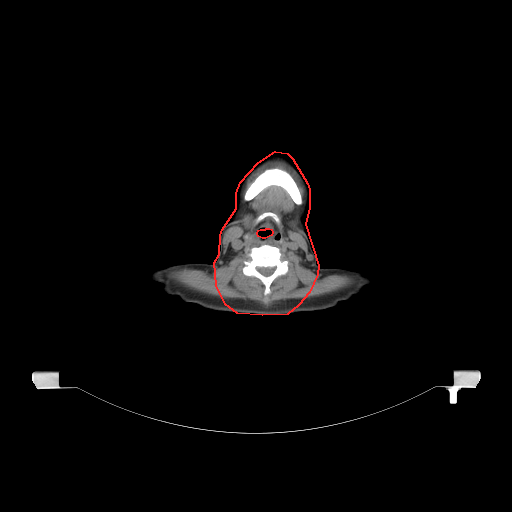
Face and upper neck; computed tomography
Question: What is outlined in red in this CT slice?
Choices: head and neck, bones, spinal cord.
Answer: red: head and neck.
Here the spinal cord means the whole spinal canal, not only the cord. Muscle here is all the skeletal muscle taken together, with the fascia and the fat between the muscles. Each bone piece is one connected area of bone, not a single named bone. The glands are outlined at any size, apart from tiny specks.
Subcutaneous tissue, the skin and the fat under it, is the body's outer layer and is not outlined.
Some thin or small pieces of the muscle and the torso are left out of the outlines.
{"head_and_neck":[{"outer":[[275,151],[287,153],[292,158],[307,183],[309,189],[309,207],[305,224],[318,265],[317,274],[309,292],[298,305],[287,314],[262,315],[237,313],[225,304],[216,285],[214,262],[219,254],[220,235],[222,229],[236,208],[236,193],[240,182],[258,162]],"hole":[[266,228],[269,228],[271,229],[272,231],[272,233],[271,235],[265,238],[262,238],[258,236],[257,234],[257,232],[258,230],[260,229],[265,229]]}],"bones":[{"outer":[[261,244],[270,244],[278,247],[283,256],[282,257],[288,261],[287,272],[283,275],[277,276],[272,281],[269,286],[270,293],[267,295],[264,295],[265,287],[263,283],[255,276],[245,275],[242,270],[244,261],[248,257],[247,254],[251,248],[259,246]],"hole":[[258,267],[274,267],[274,270],[273,271],[273,272],[271,274],[270,274],[269,275],[263,275],[260,272],[259,272],[258,271],[258,270],[257,269],[257,268]]},[[268,168],[280,168],[283,170],[285,170],[291,175],[295,181],[301,194],[302,197],[302,203],[301,204],[299,205],[296,204],[290,195],[279,185],[269,185],[267,186],[250,200],[247,201],[243,198],[245,191],[255,178],[264,170]],[[265,212],[272,212],[274,213],[279,218],[280,220],[280,222],[279,224],[277,224],[275,222],[275,221],[272,218],[270,217],[266,217],[264,219],[263,219],[261,221],[260,221],[256,224],[255,223],[255,221],[257,217],[259,215]]],"submandibular_glands":[[[249,213],[252,213],[253,214],[254,214],[254,215],[255,216],[255,218],[254,219],[254,220],[252,222],[250,228],[249,228],[248,229],[246,229],[245,228],[244,228],[244,227],[243,226],[243,221],[244,220],[244,217],[247,214],[248,214]],[[291,219],[293,219],[294,220],[295,220],[297,222],[297,223],[298,224],[298,227],[297,228],[297,229],[296,229],[295,230],[293,230],[292,229],[291,229],[289,227],[289,226],[288,225],[288,222],[289,221],[289,220],[290,220]]],"torso":[[[186,262],[213,263],[215,271],[215,285],[217,291],[224,304],[229,309],[235,312],[212,310],[202,307],[195,303],[182,301],[176,295],[166,294],[162,290],[162,286],[159,283],[150,279],[149,277],[150,273],[157,268],[170,264],[177,264]],[[318,266],[323,268],[331,268],[332,267],[344,268],[349,270],[354,270],[358,272],[361,272],[369,277],[372,280],[372,283],[365,287],[360,293],[354,295],[348,300],[341,301],[334,307],[323,310],[297,312],[288,314],[294,310],[310,292],[318,274]]],"spinal_cord":[[[258,267],[274,267],[274,270],[273,271],[273,272],[271,274],[270,274],[269,275],[263,275],[260,272],[259,272],[258,271],[258,270],[257,269],[257,268]]],"muscle":[{"outer":[[269,186],[281,187],[296,205],[301,205],[298,223],[291,218],[288,220],[287,225],[293,231],[297,230],[299,226],[301,229],[311,257],[311,268],[317,274],[322,275],[345,274],[352,276],[355,281],[351,285],[320,296],[278,300],[266,306],[249,299],[222,298],[194,291],[178,284],[167,276],[168,271],[178,268],[212,271],[219,266],[226,258],[224,234],[233,222],[240,217],[244,206],[242,199],[247,202],[250,201]],"holes":[[[261,244],[270,244],[278,247],[283,256],[282,257],[288,261],[287,272],[283,275],[277,276],[272,281],[269,286],[270,293],[267,295],[264,295],[265,287],[263,283],[255,276],[245,275],[242,270],[244,261],[248,257],[247,254],[251,248],[259,246]],[[265,212],[272,212],[274,213],[280,220],[279,224],[277,224],[272,218],[270,217],[266,217],[256,224],[254,220],[252,222],[250,228],[248,229],[244,228],[243,226],[243,221],[244,220],[244,217],[247,214],[249,213],[254,214],[256,219],[259,215]],[[266,228],[269,228],[271,229],[272,231],[272,233],[271,235],[265,238],[262,238],[258,236],[257,234],[257,232],[258,230],[260,229],[265,229]]]},[[272,162],[281,162],[288,166],[296,174],[296,175],[300,180],[304,189],[303,202],[303,197],[296,181],[294,179],[292,175],[288,171],[280,167],[268,167],[264,169],[254,178],[254,179],[244,191],[243,195],[243,190],[248,178],[258,169]]]}